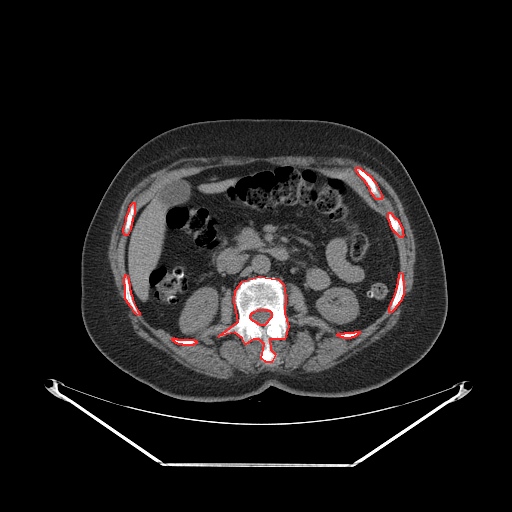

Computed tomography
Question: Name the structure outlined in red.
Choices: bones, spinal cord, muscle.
Answer: red: bones.
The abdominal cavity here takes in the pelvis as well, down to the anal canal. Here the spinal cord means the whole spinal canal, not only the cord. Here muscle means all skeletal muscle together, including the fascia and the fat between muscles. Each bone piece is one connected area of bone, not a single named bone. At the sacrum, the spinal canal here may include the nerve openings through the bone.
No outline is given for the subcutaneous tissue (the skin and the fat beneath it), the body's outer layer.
Outlined structures:
bones 1: [[258,276],[278,279],[283,284],[285,296],[284,313],[288,326],[284,339],[269,339],[270,349],[275,354],[271,362],[266,362],[261,358],[264,344],[259,339],[253,339],[245,344],[242,338],[234,332],[218,336],[238,321],[234,301],[235,290],[242,281]], around a hole outlined by [[258,309],[266,309],[267,310],[269,310],[271,312],[271,317],[267,321],[267,322],[264,325],[260,325],[259,324],[258,324],[256,322],[255,322],[254,321],[253,321],[250,318],[250,315],[251,314],[251,313],[252,312],[253,312],[254,311],[255,311]]
bones 2: [[356,167],[359,167],[367,174],[368,174],[372,178],[372,179],[375,182],[381,194],[381,196],[382,197],[381,199],[376,199],[374,197],[374,196],[371,193],[370,191],[370,189],[367,185],[367,184],[365,182],[365,181],[358,174],[358,173],[356,171]]
bones 3: [[400,272],[402,273],[402,279],[403,280],[403,295],[401,298],[401,300],[395,307],[395,308],[391,312],[389,312],[389,308],[396,291],[396,288],[397,287],[397,284],[398,283],[398,278],[399,277],[399,274]]
bones 4: [[125,274],[127,275],[127,277],[128,278],[128,282],[129,283],[129,289],[130,290],[130,293],[131,294],[133,302],[137,310],[139,312],[139,315],[136,314],[134,312],[132,308],[129,305],[129,304],[125,299],[125,285],[124,284],[124,277],[125,276]]
bones 5: [[133,202],[134,202],[134,214],[132,218],[132,221],[131,222],[131,226],[130,227],[130,229],[127,235],[125,235],[123,232],[123,228],[124,227],[124,225],[126,221],[126,216],[128,213],[128,211],[129,210],[130,205]]
bones 6: [[389,212],[390,212],[392,214],[392,215],[395,218],[396,218],[398,220],[398,221],[399,222],[399,223],[402,228],[402,233],[403,234],[402,237],[400,237],[395,232],[394,232],[394,231],[392,229],[392,228],[390,225],[390,222],[388,219],[388,213]]
bones 7: [[173,337],[174,338],[176,338],[177,339],[193,339],[194,340],[195,340],[196,341],[196,343],[195,343],[194,344],[193,344],[192,345],[183,345],[182,344],[178,344],[177,343],[176,343],[174,341],[173,341],[173,340],[172,339],[172,338]]
bones 8: [[355,331],[359,331],[359,333],[358,334],[357,334],[355,336],[354,336],[353,337],[351,337],[350,338],[344,338],[343,337],[341,337],[340,336],[338,336],[337,335],[337,334],[338,333],[344,333],[345,332],[354,332]]
spinal cord: [[258,309],[266,309],[267,310],[269,310],[271,312],[271,317],[267,321],[267,322],[264,325],[260,325],[259,324],[258,324],[256,322],[255,322],[254,321],[253,321],[250,318],[250,315],[251,314],[251,313],[252,312],[253,312],[254,311],[255,311]]
muscle: [[201,156],[203,157],[211,157],[212,156],[217,156],[218,157],[219,156],[239,156],[240,157],[270,157],[271,156],[348,157],[369,166],[379,173],[393,188],[403,206],[404,212],[408,219],[410,227],[412,229],[412,232],[414,236],[415,251],[416,252],[415,255],[415,263],[414,264],[414,280],[413,281],[413,285],[404,301],[404,306],[400,314],[400,317],[394,327],[390,329],[385,335],[381,338],[373,342],[370,345],[362,349],[357,353],[352,355],[344,361],[335,365],[329,369],[323,370],[321,372],[314,375],[308,375],[307,376],[302,376],[301,375],[288,375],[277,370],[266,369],[255,374],[244,375],[238,378],[221,379],[220,378],[211,377],[196,372],[184,366],[179,362],[176,361],[166,352],[153,346],[149,342],[140,337],[133,329],[131,321],[128,317],[126,307],[122,302],[122,300],[118,294],[118,291],[114,283],[113,275],[108,260],[108,246],[109,245],[111,232],[113,226],[116,221],[120,207],[125,197],[129,191],[143,178],[149,174],[163,168],[168,164],[182,157],[200,157]]; inner edges: [[254,162],[304,167],[338,178],[374,210],[398,220],[403,235],[394,235],[403,295],[391,312],[389,305],[358,334],[344,338],[308,314],[301,289],[285,283],[288,326],[284,339],[269,339],[275,354],[271,362],[261,358],[264,344],[259,339],[245,344],[234,332],[218,336],[239,318],[230,288],[221,298],[219,320],[196,335],[192,345],[176,343],[134,312],[124,284],[123,228],[130,205],[134,202],[134,217],[173,180]], then [[356,167],[359,167],[367,174],[368,174],[372,178],[372,179],[375,182],[381,194],[381,196],[382,197],[381,199],[376,199],[374,197],[374,196],[371,193],[370,191],[370,189],[367,185],[367,184],[365,182],[365,181],[358,174],[358,173],[356,171]]
torso: [[234,118],[316,119],[349,125],[384,143],[410,175],[440,242],[448,307],[443,328],[430,350],[385,385],[347,397],[303,396],[270,386],[237,401],[186,401],[164,395],[123,372],[90,339],[80,310],[81,251],[92,216],[113,177],[141,145],[166,130]]
abdominal cavity: [[254,162],[304,167],[338,178],[387,218],[397,243],[399,273],[390,304],[373,322],[341,332],[308,314],[297,285],[267,275],[244,279],[234,291],[227,288],[219,320],[193,338],[174,337],[140,313],[124,259],[127,236],[139,210],[161,187],[182,176]]